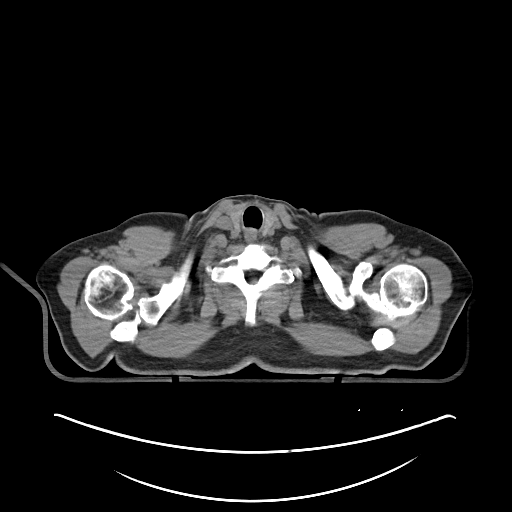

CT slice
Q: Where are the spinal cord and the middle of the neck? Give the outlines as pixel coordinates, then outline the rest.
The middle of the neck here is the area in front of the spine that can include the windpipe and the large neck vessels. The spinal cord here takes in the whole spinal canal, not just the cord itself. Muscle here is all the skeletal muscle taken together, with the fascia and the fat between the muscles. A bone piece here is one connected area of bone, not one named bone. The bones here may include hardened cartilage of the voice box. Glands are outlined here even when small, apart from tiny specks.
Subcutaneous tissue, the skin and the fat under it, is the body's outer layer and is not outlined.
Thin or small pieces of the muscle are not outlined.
A: {"spinal_cord":[[[249,270],[255,270],[256,271],[259,271],[260,272],[260,274],[259,275],[259,276],[258,277],[258,279],[254,283],[250,283],[247,280],[247,279],[246,278],[246,272],[247,271],[248,271]]],"middle_of_the_neck":[[[251,203],[257,204],[265,210],[261,228],[261,234],[263,236],[265,236],[277,222],[281,224],[280,231],[273,239],[246,243],[245,241],[232,239],[227,236],[226,230],[222,227],[222,220],[228,216],[232,222],[233,231],[239,234],[243,209],[247,204]]],"muscle":[{"outer":[[226,199],[281,203],[320,227],[379,223],[441,260],[453,291],[432,341],[417,354],[392,350],[394,332],[379,326],[374,351],[324,356],[272,327],[230,327],[184,358],[145,354],[125,343],[136,340],[142,322],[155,326],[183,293],[194,262],[189,250],[156,293],[134,303],[124,271],[107,262],[89,270],[82,291],[94,316],[114,321],[133,311],[109,330],[116,341],[89,357],[56,289],[63,266],[132,225],[176,230]],"holes":[[[251,203],[281,224],[273,239],[259,242],[270,255],[283,259],[282,268],[297,266],[301,275],[291,283],[264,290],[256,303],[256,323],[248,326],[242,292],[231,283],[213,281],[205,267],[218,266],[221,258],[243,250],[246,242],[228,237],[222,220]],[[308,245],[325,257],[345,287],[355,266],[369,261],[372,274],[362,284],[367,293],[379,289],[380,278],[391,267],[400,263],[414,265],[427,279],[427,299],[415,313],[393,320],[372,310],[357,297],[351,309],[342,310],[333,303],[318,278],[308,256]]]}],"thyroid_glands":[[[242,207],[243,207],[243,208],[241,212],[241,215],[240,216],[240,220],[239,221],[239,223],[240,224],[240,230],[239,231],[239,233],[237,233],[234,231],[234,225],[233,224],[233,222],[229,217],[229,214],[230,214],[232,212]],[[266,211],[267,211],[271,215],[271,216],[276,221],[276,222],[270,228],[270,229],[268,231],[268,232],[265,235],[263,235],[262,234],[262,228],[263,227],[263,224],[264,223],[264,214],[265,213],[265,212]]],"left_arm":[[[404,224],[409,224],[418,227],[447,242],[455,250],[468,268],[473,277],[473,288],[470,298],[466,302],[458,316],[450,332],[443,350],[428,365],[419,370],[407,370],[395,358],[383,330],[380,311],[375,300],[371,284],[372,263],[379,246],[390,234]]],"bones":[[[189,251],[193,252],[193,262],[184,289],[157,323],[142,321],[132,343],[111,338],[109,333],[114,325],[131,318],[134,311],[114,320],[94,315],[85,303],[83,291],[90,270],[107,263],[124,272],[133,284],[130,301],[134,304],[141,297],[156,294]],[[308,245],[325,257],[345,287],[355,266],[369,261],[372,274],[362,284],[367,293],[379,289],[380,278],[391,267],[400,263],[414,265],[427,279],[427,299],[415,313],[393,320],[372,310],[357,297],[351,309],[342,310],[333,303],[318,278],[308,256]],{"outer":[[250,243],[264,244],[270,255],[283,259],[282,268],[297,266],[301,270],[301,275],[291,283],[277,283],[262,292],[256,303],[256,323],[253,326],[244,321],[246,300],[242,292],[231,283],[213,281],[205,271],[207,265],[218,266],[221,258],[240,253]],"hole":[[249,270],[255,270],[256,271],[259,271],[260,272],[260,274],[259,275],[259,276],[258,277],[258,279],[254,283],[250,283],[247,280],[247,279],[246,278],[246,272],[247,271],[248,271]]},[[379,327],[387,327],[389,328],[393,332],[393,334],[395,338],[395,342],[392,345],[391,345],[388,348],[386,349],[384,349],[381,351],[376,351],[371,343],[371,338],[372,337],[372,335],[374,331],[377,328]]],"right_arm":[[[81,237],[95,244],[109,255],[120,261],[130,271],[134,283],[134,304],[132,316],[123,331],[118,336],[112,359],[103,368],[97,371],[88,371],[83,369],[66,354],[50,315],[47,299],[43,292],[39,289],[35,280],[37,268],[48,256],[67,243]]],"torso":[[[237,194],[281,199],[317,213],[369,209],[405,223],[378,246],[370,284],[388,346],[406,370],[390,369],[379,375],[280,373],[252,363],[219,375],[141,375],[115,363],[119,336],[134,312],[133,275],[120,260],[82,237],[142,212],[191,215],[222,197]]]}